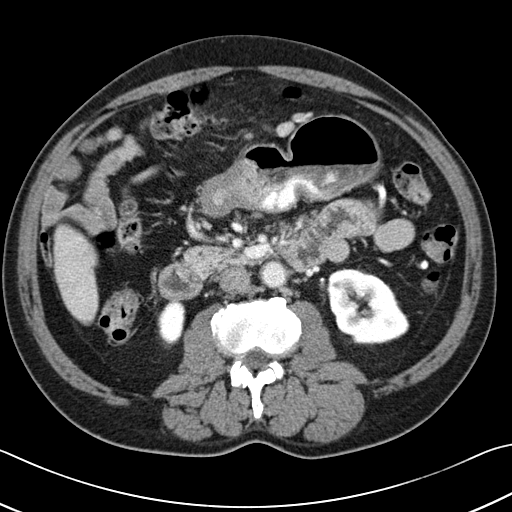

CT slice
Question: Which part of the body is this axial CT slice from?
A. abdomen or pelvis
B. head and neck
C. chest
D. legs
Answer: A. abdomen or pelvis
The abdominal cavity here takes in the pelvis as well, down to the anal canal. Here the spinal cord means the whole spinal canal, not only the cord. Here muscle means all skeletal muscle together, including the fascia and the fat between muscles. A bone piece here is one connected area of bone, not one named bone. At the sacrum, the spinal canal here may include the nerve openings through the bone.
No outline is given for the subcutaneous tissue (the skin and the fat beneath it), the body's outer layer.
The spinal cord is outlined by (256, 347) (261, 349) (264, 352) (267, 353) (269, 355) (269, 357) (270, 359) (266, 364) (266, 367) (265, 368) (263, 369) (258, 369) (257, 370) (251, 370) (243, 363) (243, 358) (245, 354) (247, 352) (248, 352) (250, 350) (252, 350) (254, 349). The torso is outlined by (238, 33) (310, 43) (370, 69) (435, 122) (482, 193) (497, 267) (487, 339) (447, 401) (419, 426) (385, 443) (321, 459) (263, 443) (210, 457) (125, 449) (62, 416) (38, 389) (12, 341) (1, 286) (3, 244) (14, 200) (42, 146) (83, 102) (136, 63) (186, 41). The muscle is outlined by (218, 65) (225, 66) (285, 65) (286, 66) (309, 68) (345, 78) (372, 91) (388, 102) (404, 110) (409, 116) (418, 121) (432, 132) (446, 148) (459, 166) (475, 203) (481, 229) (481, 246) (482, 247) (481, 284) (479, 297) (475, 307) (473, 317) (460, 344) (443, 365) (432, 372) (423, 380) (421, 380) (413, 385) (393, 391) (389, 394) (382, 395) (378, 398) (375, 398) (372, 396) (366, 397) (365, 398) (364, 413) (356, 426) (340, 438) (327, 443) (316, 443) (315, 444) (289, 443) (281, 439) (280, 437) (275, 436) (265, 430) (258, 428) (251, 429) (236, 437) (232, 438) (229, 437) (216, 442) (201, 442) (200, 441) (194, 442) (182, 439) (172, 433) (167, 428) (160, 418) (157, 410) (153, 410) (139, 406) (110, 405) (104, 403) (99, 397) (72, 386) (63, 379) (51, 366) (43, 354) (32, 333) (31, 328) (28, 325) (25, 314) (23, 311) (18, 289) (18, 273) (17, 272) (18, 237) (22, 212) (30, 188) (36, 178) (39, 168) (57, 142) (68, 131) (81, 123) (86, 117) (92, 113) (96, 112) (117, 96) (133, 88) (166, 75) (173, 74) (177, 72) (200, 67) (217, 66) with a hole at (235, 70) (327, 89) (400, 126) (445, 178) (465, 238) (449, 327) (390, 377) (335, 360) (317, 307) (289, 304) (301, 334) (261, 389) (259, 419) (212, 336) (219, 303) (195, 314) (171, 374) (130, 391) (66, 354) (37, 280) (40, 215) (66, 155) (117, 111). The bones are outlined by (274, 296) (283, 297) (286, 305) (299, 318) (301, 334) (294, 349) (278, 359) (285, 372) (283, 377) (262, 387) (260, 400) (263, 410) (260, 418) (256, 419) (249, 389) (234, 387) (230, 383) (229, 369) (233, 358) (219, 351) (212, 336) (210, 320) (220, 307) (229, 303) with a hole at (256, 347) (261, 349) (264, 352) (267, 353) (269, 355) (269, 357) (270, 359) (266, 364) (266, 367) (265, 368) (263, 369) (258, 369) (257, 370) (251, 370) (243, 363) (243, 358) (245, 354) (247, 352) (248, 352) (250, 350) (252, 350) (254, 349). The abdominal cavity is outlined by (235, 70) (360, 102) (405, 130) (445, 178) (464, 228) (460, 303) (437, 344) (402, 371) (370, 379) (353, 363) (335, 360) (317, 307) (305, 299) (288, 306) (280, 295) (198, 311) (183, 335) (179, 364) (150, 392) (96, 380) (50, 331) (37, 240) (62, 160) (117, 111).